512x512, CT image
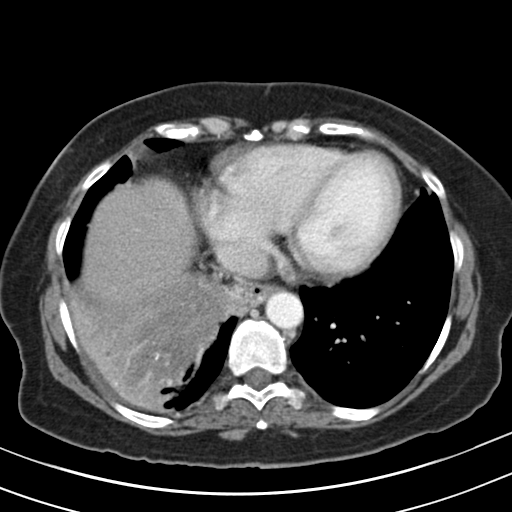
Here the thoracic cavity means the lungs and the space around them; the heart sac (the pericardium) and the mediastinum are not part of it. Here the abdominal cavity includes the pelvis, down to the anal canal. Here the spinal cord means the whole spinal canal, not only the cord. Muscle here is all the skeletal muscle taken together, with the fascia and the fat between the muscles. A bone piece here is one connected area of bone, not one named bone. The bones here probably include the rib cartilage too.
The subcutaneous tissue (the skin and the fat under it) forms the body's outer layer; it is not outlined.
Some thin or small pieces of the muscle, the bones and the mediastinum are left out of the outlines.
The thoracic cavity appears in 2 outlined pieces: piece 1: [[426,186],[426,189],[433,192],[439,200],[453,259],[447,314],[437,339],[413,377],[386,401],[361,408],[332,404],[315,393],[290,365],[289,349],[304,329],[305,314],[299,293],[300,287],[332,288],[368,270],[390,240],[406,210],[416,199],[418,190]]; piece 2: [[151,138],[181,143],[160,152],[141,152],[131,175],[97,202],[81,249],[85,285],[100,300],[134,305],[169,292],[205,262],[231,278],[249,303],[231,334],[217,378],[199,399],[167,416],[121,403],[98,379],[76,337],[62,257],[87,190],[122,156]]. The bones appear in 12 outlined pieces: piece 1: [[246,319],[266,321],[283,337],[289,365],[279,377],[290,387],[305,390],[306,396],[299,409],[288,404],[282,396],[270,398],[261,410],[242,397],[231,399],[221,410],[215,408],[214,397],[226,392],[237,379],[228,369],[226,361],[232,334],[238,324]], around a hole outlined by [[255,367],[259,367],[260,368],[267,371],[271,375],[277,375],[277,382],[270,382],[264,387],[263,387],[259,390],[258,390],[257,389],[255,389],[253,387],[250,386],[246,383],[240,383],[240,376],[243,376],[248,371],[249,371],[251,369],[252,369]]; piece 2: [[205,117],[216,117],[230,123],[231,125],[229,132],[225,133],[220,138],[206,131],[203,134],[199,135],[197,139],[195,140],[181,140],[175,138],[167,138],[162,137],[153,128],[156,125],[162,123],[173,123],[176,125],[188,123],[198,124],[200,120]]; piece 3: [[325,122],[343,123],[344,124],[355,125],[356,126],[360,126],[366,128],[381,137],[384,140],[384,142],[381,143],[377,140],[374,140],[373,141],[366,140],[359,137],[357,135],[354,135],[353,134],[321,134],[318,131],[317,127],[319,124]]; piece 4: [[111,402],[117,402],[118,403],[120,403],[131,409],[133,409],[136,411],[142,412],[146,414],[158,415],[159,416],[166,416],[171,418],[174,422],[173,423],[168,424],[164,427],[161,427],[160,428],[144,426],[122,415],[111,405],[110,403]]; piece 5: [[295,119],[306,119],[308,120],[309,124],[311,126],[311,131],[309,134],[304,135],[299,139],[289,139],[285,137],[282,137],[281,136],[282,135],[281,133],[275,133],[271,130],[271,126],[272,124],[278,120],[284,120],[288,122],[291,120],[294,120]]; piece 6: [[331,405],[336,405],[337,406],[346,407],[347,408],[355,408],[356,409],[370,408],[371,407],[378,406],[380,408],[380,411],[377,414],[368,419],[364,419],[363,420],[349,420],[348,419],[343,419],[334,416],[332,414],[330,408]]; piece 7: [[449,313],[450,313],[452,316],[451,326],[447,338],[444,343],[444,345],[442,347],[440,352],[434,361],[428,367],[428,368],[423,373],[418,374],[417,373],[418,371],[426,361],[433,347],[435,345],[441,332],[446,317]]; piece 8: [[61,298],[62,298],[67,304],[67,307],[69,310],[69,313],[70,314],[70,317],[72,322],[73,330],[74,331],[75,337],[79,347],[79,352],[77,352],[76,351],[70,342],[69,338],[67,335],[67,333],[61,321],[60,315],[59,314],[59,301]]; piece 9: [[423,168],[429,169],[432,172],[433,172],[440,180],[440,181],[443,185],[443,187],[445,191],[445,194],[446,195],[445,199],[439,199],[437,195],[433,191],[428,189],[428,187],[426,183],[421,177],[421,175],[420,174],[420,171],[421,169]]; piece 10: [[449,230],[453,230],[461,239],[462,243],[463,244],[463,260],[462,261],[460,269],[456,273],[453,273],[453,268],[454,267],[454,259],[453,258],[453,252],[452,251],[452,248],[451,247],[451,243],[450,242],[450,237],[449,236]]; piece 11: [[69,215],[71,216],[72,218],[69,225],[69,228],[68,229],[67,234],[65,237],[65,240],[64,241],[63,248],[62,249],[62,254],[61,255],[61,257],[60,257],[57,255],[55,251],[55,237],[56,236],[57,229],[59,226],[60,222]]; piece 12: [[105,160],[109,160],[111,162],[112,162],[113,164],[110,167],[110,168],[103,175],[102,175],[95,182],[94,182],[86,190],[86,191],[84,192],[81,189],[81,186],[83,182],[86,179],[88,175],[99,164],[100,164]]. The muscle appears in 2 outlined pieces: piece 1: [[209,114],[241,117],[256,125],[277,120],[270,130],[280,136],[265,137],[253,127],[241,135],[222,137],[232,125],[216,116],[202,117],[198,123],[162,122],[152,128],[161,137],[146,138],[114,163],[105,159],[82,182],[84,194],[73,216],[69,214],[59,222],[54,237],[54,251],[62,258],[67,282],[67,303],[59,299],[58,314],[72,347],[77,353],[81,348],[101,385],[117,400],[110,405],[148,428],[173,424],[168,416],[199,400],[225,365],[236,379],[213,397],[217,411],[238,398],[261,411],[274,397],[286,399],[288,405],[299,410],[306,390],[290,386],[280,377],[291,366],[315,394],[331,404],[334,417],[368,420],[381,411],[378,405],[429,368],[451,330],[453,316],[448,309],[452,278],[461,269],[464,244],[453,229],[448,229],[440,202],[447,197],[443,183],[463,210],[476,251],[482,280],[476,331],[465,355],[394,413],[364,426],[299,437],[267,428],[268,422],[262,417],[255,422],[258,430],[241,440],[155,435],[110,416],[51,374],[38,302],[49,230],[60,204],[87,171],[146,128]]; piece 2: [[300,116],[310,118],[336,117],[354,120],[365,125],[371,126],[387,135],[414,158],[427,165],[433,171],[429,168],[423,167],[419,171],[420,176],[418,175],[412,171],[401,159],[390,151],[389,149],[374,141],[377,141],[383,144],[385,140],[381,136],[366,127],[343,122],[325,121],[319,123],[316,127],[319,134],[308,135],[312,131],[312,126],[308,119],[295,118],[288,121],[284,119],[278,119],[291,119]]. The mediastinum appears in 3 outlined pieces: piece 1: [[200,248],[208,260],[230,275],[242,278],[243,277],[263,283],[300,286],[298,293],[303,306],[303,329],[298,339],[289,347],[288,353],[284,337],[269,322],[263,319],[251,318],[242,320],[250,309],[250,303],[231,277],[205,261],[200,261],[195,266]]; piece 2: [[235,134],[239,134],[246,141],[249,141],[236,141],[217,147],[210,152],[198,169],[188,198],[187,189],[166,177],[147,173],[128,178],[132,175],[133,166],[136,160],[143,152],[152,150],[160,153],[179,146],[182,141],[195,141],[202,138],[228,138]]; piece 3: [[320,134],[353,135],[366,141],[375,142],[394,154],[412,172],[419,176],[426,185],[421,186],[417,190],[415,199],[402,215],[406,203],[406,192],[408,189],[406,184],[407,180],[402,165],[393,155],[380,147],[367,143],[300,139],[304,136]]. The pericardium is outlined by [[265,140],[311,140],[367,144],[384,150],[401,165],[407,188],[403,212],[389,240],[368,269],[331,287],[323,285],[278,284],[230,274],[206,257],[198,242],[200,236],[192,219],[189,198],[200,167],[206,157],[217,148],[236,142],[259,142]]. The torso is outlined by [[200,80],[306,80],[371,94],[439,130],[501,182],[511,195],[511,319],[502,335],[501,379],[484,405],[446,429],[371,455],[281,469],[152,464],[74,446],[21,417],[17,405],[21,361],[0,317],[0,260],[18,218],[56,154],[89,120],[138,96]]. The abdominal cavity is outlined by [[147,174],[166,178],[187,190],[191,219],[195,224],[195,229],[199,236],[197,239],[199,248],[194,266],[189,270],[183,280],[169,291],[156,298],[134,304],[100,299],[85,283],[82,249],[87,224],[98,202],[116,184],[121,184],[128,179]]. The spinal cord is outlined by [[255,367],[259,367],[260,368],[267,371],[271,375],[277,375],[277,382],[270,382],[264,387],[263,387],[259,390],[258,390],[257,389],[255,389],[253,387],[250,386],[246,383],[240,383],[240,376],[243,376],[248,371],[249,371],[251,369],[252,369]].